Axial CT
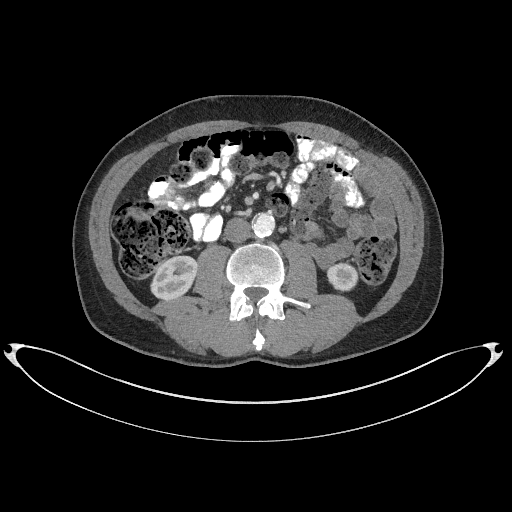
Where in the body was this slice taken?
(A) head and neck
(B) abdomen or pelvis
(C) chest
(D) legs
Answer: (B) abdomen or pelvis
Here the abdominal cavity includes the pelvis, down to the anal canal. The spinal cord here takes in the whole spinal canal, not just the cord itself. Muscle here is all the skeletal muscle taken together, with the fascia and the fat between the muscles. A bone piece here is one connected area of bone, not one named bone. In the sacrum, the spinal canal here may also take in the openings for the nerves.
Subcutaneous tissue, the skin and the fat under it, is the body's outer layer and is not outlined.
The bones appear in 2 outlined pieces: piece 1: [[230,320],[239,320],[254,313],[259,316],[266,315],[273,319],[283,319],[285,302],[305,308],[311,307],[308,302],[287,296],[280,290],[285,275],[284,263],[279,249],[274,243],[247,243],[237,247],[230,255],[225,269],[226,277],[233,286],[229,296]]; inner edge: [[252,302],[255,302],[261,297],[265,295],[267,293],[267,290],[264,288],[259,288],[258,287],[256,288],[254,287],[250,287],[249,288],[246,288],[244,290],[244,292],[245,294],[246,294],[250,298],[250,300]]; piece 2: [[256,350],[260,350],[262,348],[262,346],[264,343],[264,338],[263,337],[263,336],[261,334],[260,331],[257,328],[256,328],[256,329],[255,330],[255,336],[254,337],[254,338],[252,341],[252,342],[253,343],[253,344],[255,347],[255,349]]. The torso is outlined by [[211,368],[252,360],[291,368],[342,361],[409,338],[432,317],[441,294],[444,254],[442,225],[435,199],[405,149],[356,112],[305,95],[203,96],[167,109],[127,133],[108,150],[88,179],[72,227],[74,272],[87,320],[102,335],[139,353],[184,365]]. The muscle is outlined by [[222,357],[233,357],[254,352],[279,357],[301,357],[314,354],[335,344],[356,326],[384,314],[399,301],[403,292],[415,277],[424,244],[422,199],[411,178],[399,163],[344,132],[324,124],[308,121],[250,123],[241,120],[223,119],[202,121],[180,127],[139,150],[123,156],[111,166],[92,199],[88,220],[88,238],[93,260],[105,286],[113,294],[114,299],[128,312],[142,319],[152,321],[186,350],[201,355],[219,355]], around holes outlined by [[230,320],[283,319],[285,302],[311,307],[280,290],[284,239],[306,248],[318,292],[345,295],[360,313],[389,287],[397,215],[379,176],[351,150],[247,127],[170,144],[130,178],[112,207],[110,235],[126,285],[148,306],[197,295],[198,254],[226,245]] and by [[256,350],[260,350],[262,348],[262,346],[264,343],[264,338],[263,337],[263,336],[261,334],[260,331],[257,328],[256,328],[256,329],[255,330],[255,336],[254,337],[254,338],[252,341],[252,342],[253,343],[253,344],[255,347],[255,349]]. The spinal cord is outlined by [[252,302],[255,302],[261,297],[265,295],[267,293],[267,290],[264,288],[259,288],[258,287],[256,288],[254,287],[250,287],[249,288],[246,288],[244,290],[244,292],[245,294],[246,294],[250,298],[250,300]]. The abdominal cavity is outlined by [[360,313],[371,309],[395,275],[399,229],[388,190],[349,149],[271,127],[191,138],[148,159],[112,207],[116,267],[148,306],[197,295],[192,290],[196,259],[207,245],[220,243],[232,251],[247,242],[278,246],[291,239],[312,258],[318,292],[345,295]].